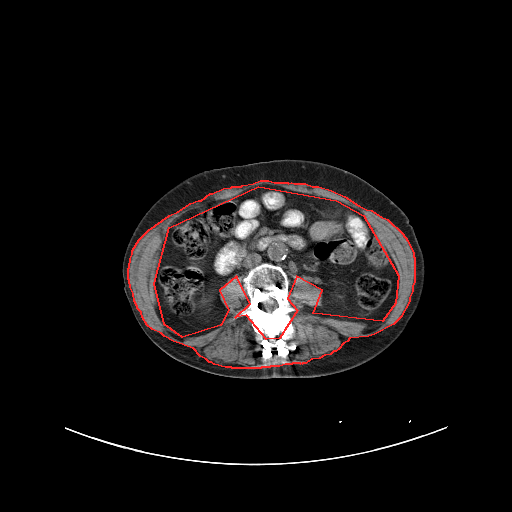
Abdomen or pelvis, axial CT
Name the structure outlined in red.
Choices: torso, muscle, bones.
red: muscle.
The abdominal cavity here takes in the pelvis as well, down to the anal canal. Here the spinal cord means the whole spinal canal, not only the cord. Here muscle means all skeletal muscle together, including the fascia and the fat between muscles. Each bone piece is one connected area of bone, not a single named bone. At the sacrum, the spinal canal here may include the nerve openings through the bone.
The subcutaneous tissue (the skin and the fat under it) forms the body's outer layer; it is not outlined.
Outlines (x, y in pixels):
muscle: 260 180; 268 180; 274 182; 287 182; 288 183; 291 182; 294 183; 305 183; 312 186; 318 186; 331 190; 344 196; 358 205; 366 209; 371 210; 380 216; 387 219; 402 233; 407 240; 413 253; 413 256; 414 257; 414 281; 412 286; 412 291; 409 297; 409 301; 400 317; 393 324; 374 334; 368 336; 349 338; 347 341; 343 343; 338 349; 335 351; 333 351; 330 354; 324 355; 319 358; 311 359; 305 363; 302 363; 301 364; 300 363; 292 363; 291 364; 285 364; 279 366; 270 366; 269 367; 261 367; 260 368; 232 368; 231 367; 225 367; 214 364; 211 362; 209 362; 206 359; 200 356; 193 348; 173 341; 164 336; 161 333; 152 329; 147 325; 142 317; 141 312; 137 308; 137 306; 134 301; 133 293; 130 287; 129 280; 128 279; 128 268; 129 267; 130 258; 132 254; 132 250; 139 239; 148 230; 169 215; 178 211; 190 203; 198 200; 201 200; 210 193; 212 193; 223 188; 231 187; 232 186; 241 186; 242 185; 253 183, around a hole outlined by 258 186; 336 200; 363 215; 398 275; 395 303; 382 321; 313 313; 322 290; 296 276; 287 298; 297 310; 279 338; 266 339; 246 315; 235 317; 250 303; 236 276; 219 290; 228 310; 220 325; 182 337; 164 324; 154 283; 169 227
abdominal cavity: 258 186; 336 200; 363 215; 398 275; 395 303; 382 321; 369 325; 313 313; 311 308; 322 304; 322 290; 305 276; 290 283; 279 265; 264 261; 220 288; 228 316; 217 327; 182 337; 164 324; 155 308; 154 283; 169 227; 191 210
bones: 264 262; 277 265; 286 273; 289 280; 287 298; 289 303; 297 309; 296 311; 289 313; 290 317; 284 333; 275 340; 259 336; 253 330; 251 320; 246 315; 235 317; 239 311; 245 309; 250 303; 250 299; 243 287; 242 279; 250 269, around a hole outlined by 271 298; 272 298; 276 302; 276 304; 277 305; 277 306; 275 308; 274 308; 272 311; 269 312; 268 311; 266 311; 264 309; 261 309; 259 308; 258 306; 259 303; 261 302; 263 302; 266 300; 270 300
torso: 282 158; 319 161; 345 169; 384 193; 405 213; 424 258; 424 285; 419 304; 404 331; 388 348; 342 372; 318 377; 244 379; 218 376; 187 366; 159 349; 134 318; 123 291; 121 273; 126 244; 146 210; 164 192; 189 176; 212 168
spinal cord: 271 298; 272 298; 276 302; 276 304; 277 305; 277 306; 275 308; 274 308; 272 311; 269 312; 268 311; 266 311; 264 309; 261 309; 259 308; 258 306; 259 303; 261 302; 263 302; 266 300; 270 300